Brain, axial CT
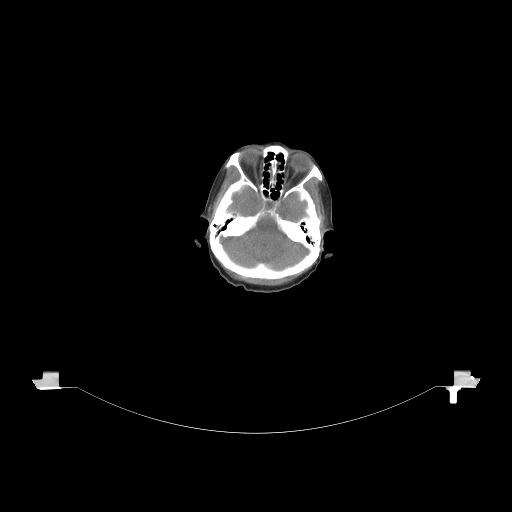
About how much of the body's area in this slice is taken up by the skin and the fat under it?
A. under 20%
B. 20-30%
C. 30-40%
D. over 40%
Answer: B. 20-30%
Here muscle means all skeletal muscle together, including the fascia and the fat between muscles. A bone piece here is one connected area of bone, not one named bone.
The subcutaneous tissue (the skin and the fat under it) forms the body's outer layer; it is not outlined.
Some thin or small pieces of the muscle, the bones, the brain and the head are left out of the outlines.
{"bones":[{"outer":[[269,145],[279,145],[288,151],[283,174],[287,188],[298,183],[307,174],[311,163],[315,164],[322,174],[321,181],[312,177],[304,184],[320,217],[319,229],[322,234],[320,253],[310,267],[299,273],[274,279],[246,277],[224,267],[211,250],[208,229],[222,196],[230,184],[239,178],[239,172],[234,166],[225,167],[229,157],[235,152],[241,152],[239,162],[243,171],[253,182],[257,183],[260,181],[264,161],[262,150]],"holes":[[[265,217],[271,219],[274,222],[276,228],[280,232],[293,242],[301,244],[307,250],[307,252],[294,263],[286,265],[282,268],[274,268],[262,261],[258,261],[251,266],[244,265],[235,261],[225,249],[221,241],[222,238],[242,236],[255,228],[258,222]],[[246,187],[250,188],[253,191],[255,195],[259,198],[261,202],[261,206],[260,208],[253,214],[248,214],[247,215],[245,215],[239,212],[234,213],[231,210],[229,210],[228,209],[234,201],[233,196],[234,194],[241,192],[242,190]],[[292,193],[296,193],[297,194],[297,199],[300,202],[305,202],[305,206],[304,207],[304,209],[303,210],[304,211],[304,214],[296,220],[292,220],[291,219],[284,218],[278,211],[278,208],[280,206],[282,201],[283,201],[290,194],[291,194]],[[279,173],[282,174],[281,177],[282,181],[280,184],[280,187],[278,191],[279,193],[278,196],[275,199],[273,199],[271,197],[271,193],[272,192],[271,189],[272,188],[274,189],[275,188],[276,186],[276,182],[278,180],[277,175]],[[267,164],[269,164],[268,165],[268,168],[267,168],[265,170],[265,172],[266,173],[267,172],[269,174],[269,175],[267,177],[268,179],[268,188],[266,188],[264,186],[264,183],[263,182],[263,180],[265,177],[263,175],[263,172],[265,170],[265,166]],[[280,153],[281,153],[283,155],[283,159],[284,160],[284,161],[283,162],[283,164],[282,165],[283,166],[283,168],[281,170],[280,170],[280,166],[281,165],[281,162],[279,160],[278,160],[277,159],[277,158],[276,157],[277,156],[277,155],[278,155]]]}],"brain":[[[265,217],[271,219],[274,222],[276,228],[280,232],[293,242],[301,244],[307,250],[307,252],[294,263],[286,265],[282,268],[274,268],[262,261],[258,261],[251,266],[244,265],[235,261],[225,249],[221,241],[222,238],[242,236],[255,228],[258,222]],[[246,187],[250,188],[253,191],[255,195],[259,198],[261,202],[261,206],[260,208],[253,214],[248,214],[247,215],[245,215],[239,212],[234,213],[231,210],[229,210],[228,209],[234,201],[233,196],[234,194],[241,192],[242,190]],[[292,193],[296,193],[297,194],[297,199],[300,202],[305,202],[305,206],[304,207],[304,209],[303,210],[304,211],[304,214],[296,220],[292,220],[291,219],[284,218],[278,211],[278,208],[280,206],[282,201],[283,201],[290,194],[291,194]]],"head":[{"outer":[[269,140],[283,141],[303,149],[317,160],[332,195],[334,232],[324,236],[325,248],[330,249],[333,255],[322,259],[308,278],[289,289],[263,293],[228,283],[212,265],[204,239],[199,240],[199,248],[194,238],[207,227],[199,214],[225,159],[238,146]],"holes":[[[279,173],[282,174],[281,177],[282,181],[280,184],[280,187],[278,191],[279,193],[278,196],[275,199],[273,199],[271,197],[271,193],[272,192],[271,189],[272,188],[274,189],[275,188],[276,186],[276,182],[278,180],[277,175]],[[267,164],[269,164],[268,165],[268,168],[267,168],[265,170],[265,172],[266,173],[267,172],[269,174],[269,175],[267,177],[268,179],[268,188],[266,188],[264,186],[264,183],[263,182],[263,180],[265,177],[263,175],[263,172],[265,170],[265,166]],[[280,153],[281,153],[283,155],[283,159],[284,160],[284,161],[283,162],[283,164],[282,165],[283,166],[283,168],[281,170],[280,170],[280,166],[281,165],[281,162],[279,160],[278,160],[277,159],[277,158],[276,157],[277,156],[277,155],[278,155]]]}],"muscle":[[[312,178],[315,178],[320,182],[322,181],[321,186],[322,187],[322,193],[323,194],[323,201],[324,202],[325,210],[326,211],[326,227],[322,232],[321,232],[321,230],[320,229],[321,217],[317,212],[315,202],[310,192],[305,187],[305,184]],[[232,166],[234,167],[238,172],[238,178],[231,182],[226,188],[213,211],[213,214],[211,219],[209,220],[208,218],[208,210],[209,209],[209,207],[214,199],[214,197],[222,181],[222,179],[224,176],[226,169],[228,169]],[[223,267],[238,275],[240,275],[246,278],[257,278],[258,279],[266,279],[267,280],[280,279],[288,276],[299,274],[306,269],[308,269],[294,279],[288,282],[279,284],[278,285],[260,285],[259,284],[248,283],[242,280],[235,279],[230,276],[225,271]]]}